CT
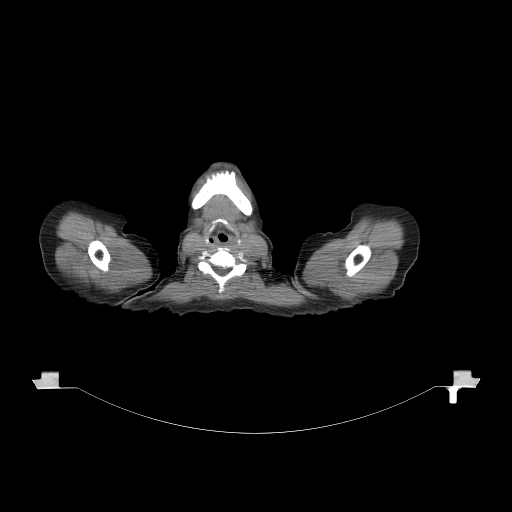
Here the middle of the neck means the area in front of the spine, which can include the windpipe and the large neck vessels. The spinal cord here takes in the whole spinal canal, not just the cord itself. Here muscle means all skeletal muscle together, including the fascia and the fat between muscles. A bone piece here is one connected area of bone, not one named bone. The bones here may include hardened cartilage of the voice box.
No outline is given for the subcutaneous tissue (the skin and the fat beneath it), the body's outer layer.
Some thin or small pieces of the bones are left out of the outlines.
{"right_arm":[[[67,198],[79,198],[124,215],[127,222],[123,227],[123,231],[125,233],[134,232],[145,236],[159,252],[161,272],[157,280],[150,287],[141,290],[113,307],[90,306],[74,295],[64,293],[58,289],[44,269],[38,242],[38,231],[47,211],[57,202]]],"head_and_neck":[[[217,161],[232,162],[238,166],[243,176],[257,196],[259,205],[261,208],[262,217],[264,221],[263,227],[251,227],[234,222],[225,217],[216,217],[215,216],[202,217],[185,224],[186,221],[185,203],[186,202],[186,196],[190,187],[194,180],[208,165]]],"torso":[[[209,217],[225,218],[251,228],[264,227],[273,244],[273,265],[278,270],[287,271],[292,283],[308,296],[324,304],[350,309],[286,318],[249,310],[190,313],[179,317],[161,310],[129,312],[114,307],[173,273],[177,263],[178,234],[186,224]]],"bones":[[[222,170],[229,170],[230,171],[233,170],[235,172],[235,181],[236,184],[247,197],[252,205],[253,209],[252,213],[250,215],[248,216],[244,214],[224,194],[215,194],[201,207],[197,209],[192,209],[190,205],[191,201],[206,181],[206,178],[213,173]],{"outer":[[218,247],[227,247],[234,255],[241,251],[246,259],[246,269],[243,274],[241,276],[234,276],[230,278],[224,284],[224,290],[220,293],[218,291],[219,286],[215,279],[210,274],[203,273],[198,268],[199,256],[202,252],[206,250],[212,253]],"hole":[[214,266],[218,266],[219,267],[221,267],[222,268],[230,268],[230,269],[229,270],[229,271],[227,273],[226,273],[225,274],[224,274],[223,275],[220,275],[219,274],[218,274],[214,270],[214,269],[213,268],[213,267]]},[[360,244],[366,244],[367,245],[368,245],[371,250],[371,255],[370,256],[369,259],[366,262],[366,263],[354,275],[353,275],[352,276],[349,277],[346,275],[346,269],[344,266],[344,263],[345,262],[345,259],[348,256],[348,255],[358,245],[359,245]],[[95,239],[98,239],[100,240],[103,243],[103,244],[106,247],[110,255],[110,261],[108,264],[108,270],[105,272],[102,271],[99,268],[98,268],[92,262],[88,254],[88,252],[87,251],[87,248],[88,247],[88,245],[89,243],[91,241]],[[217,218],[223,218],[225,219],[228,222],[229,225],[232,228],[233,230],[230,230],[223,223],[221,222],[218,222],[215,225],[212,231],[208,233],[208,230],[211,226],[212,221],[214,219],[216,219]]],"middle_of_the_neck":[[[218,223],[223,224],[233,233],[237,239],[236,240],[237,244],[233,245],[230,247],[228,247],[227,246],[218,246],[216,248],[214,247],[210,247],[208,245],[206,245],[204,242],[204,240],[206,243],[209,241],[209,238],[207,235],[213,231],[216,225]]],"muscle":[{"outer":[[236,174],[253,198],[257,228],[268,248],[267,271],[278,281],[290,282],[309,301],[281,307],[244,298],[201,297],[180,304],[148,300],[184,271],[182,240],[191,224],[192,210],[201,208],[215,195],[224,195],[244,215],[253,213],[253,205],[237,184]],"hole":[[217,218],[225,219],[235,237],[240,240],[231,246],[229,251],[234,255],[241,251],[246,259],[246,269],[243,274],[230,278],[220,293],[215,279],[198,268],[199,256],[202,252],[206,250],[212,253],[216,250],[214,247],[206,245],[204,240],[212,221]]},{"outer":[[364,215],[370,215],[376,219],[394,217],[399,220],[404,227],[405,242],[399,251],[399,262],[395,275],[387,287],[379,293],[370,293],[353,300],[344,300],[327,291],[314,289],[307,286],[302,280],[301,276],[305,264],[312,253],[331,239],[345,237]],"hole":[[360,244],[366,244],[367,245],[368,245],[371,250],[371,255],[370,256],[369,259],[366,262],[366,263],[354,275],[353,275],[352,276],[349,277],[346,275],[346,269],[344,266],[344,263],[345,262],[345,259],[348,256],[348,255],[358,245],[359,245]]},{"outer":[[68,210],[87,214],[94,219],[112,224],[116,232],[121,237],[130,240],[147,256],[152,268],[152,277],[142,284],[130,288],[124,288],[115,293],[108,293],[92,285],[87,287],[73,282],[62,275],[57,268],[54,257],[57,242],[55,226],[60,217]],"hole":[[95,239],[98,239],[100,240],[103,243],[103,244],[106,247],[110,255],[110,261],[108,264],[108,270],[105,272],[102,271],[99,268],[98,268],[92,262],[88,254],[88,252],[87,251],[87,248],[88,247],[88,245],[89,243],[91,241]]},[[225,166],[231,168],[230,170],[229,169],[222,169],[213,172],[210,175],[208,175],[205,178],[205,181],[192,198],[191,196],[192,195],[192,192],[197,183],[202,177],[203,177],[208,172],[214,169],[220,167],[224,167]]],"left_arm":[[[364,201],[399,204],[409,209],[415,215],[420,227],[418,257],[406,274],[402,287],[390,299],[367,301],[353,308],[324,303],[299,289],[291,279],[290,273],[294,269],[299,247],[302,241],[314,232],[336,232],[343,228],[350,220],[351,209],[358,203]]],"spinal_cord":[[[214,266],[218,266],[219,267],[221,267],[222,268],[230,268],[230,269],[229,270],[229,271],[227,273],[226,273],[225,274],[224,274],[223,275],[220,275],[219,274],[218,274],[214,270],[214,269],[213,268],[213,267]]]}